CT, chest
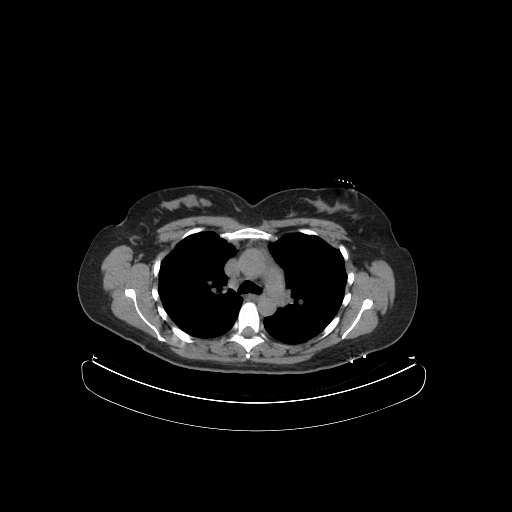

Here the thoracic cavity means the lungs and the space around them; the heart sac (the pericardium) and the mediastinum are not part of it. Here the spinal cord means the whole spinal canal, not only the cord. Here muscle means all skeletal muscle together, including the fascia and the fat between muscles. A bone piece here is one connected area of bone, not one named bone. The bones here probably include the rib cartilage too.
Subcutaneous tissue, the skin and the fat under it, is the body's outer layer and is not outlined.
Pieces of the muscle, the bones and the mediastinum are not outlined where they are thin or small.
{"spinal_cord":[[[246,327],[250,327],[253,330],[253,331],[254,332],[254,334],[252,336],[251,336],[250,337],[245,337],[243,335],[242,335],[242,332],[243,331],[243,330]]],"torso":[[[191,184],[226,188],[252,204],[296,187],[353,186],[368,196],[387,215],[397,241],[408,249],[414,262],[417,305],[406,331],[390,346],[342,365],[278,375],[222,373],[173,365],[93,322],[80,305],[76,283],[94,236],[104,226],[120,222],[145,194]]],"thoracic_cavity":[[[204,231],[213,231],[218,233],[221,238],[226,240],[235,249],[235,253],[225,261],[223,270],[227,276],[228,285],[239,294],[242,299],[236,319],[229,331],[214,337],[193,336],[177,326],[163,307],[158,291],[158,276],[162,260],[180,240],[192,234]],[[288,232],[319,236],[340,252],[346,272],[344,294],[336,314],[319,333],[298,343],[285,343],[272,337],[267,333],[262,321],[265,317],[274,314],[278,308],[283,305],[286,297],[287,289],[285,272],[271,254],[268,246],[270,242],[277,240],[279,236]]],"mediastinum":[[[243,239],[261,239],[273,241],[268,243],[267,248],[274,260],[284,272],[286,291],[283,303],[277,308],[274,313],[265,316],[262,320],[256,304],[253,301],[249,300],[243,302],[240,294],[229,285],[228,276],[224,270],[226,261],[237,251],[229,242]]],"bones":[{"outer":[[249,301],[250,302],[253,302],[255,304],[257,308],[258,314],[268,337],[263,342],[258,343],[250,350],[250,356],[247,359],[245,357],[246,351],[240,344],[235,341],[226,341],[225,339],[230,334],[230,330],[237,319],[238,313],[242,304]],"hole":[[246,327],[250,327],[253,330],[253,331],[254,332],[254,334],[252,336],[251,336],[250,337],[245,337],[243,335],[242,335],[242,332],[243,331],[243,330]]},[[244,227],[255,227],[258,229],[263,230],[268,233],[273,234],[277,236],[278,238],[275,240],[262,239],[261,238],[243,238],[242,239],[234,239],[233,240],[228,241],[226,239],[221,237],[219,235],[220,233],[226,232],[227,231],[231,232]],[[126,288],[133,288],[134,289],[135,295],[136,296],[136,302],[138,308],[144,317],[150,323],[156,327],[160,334],[166,339],[165,342],[159,341],[157,339],[155,332],[148,326],[139,316],[135,309],[133,300],[130,297],[126,296],[124,293],[124,290]],[[366,298],[369,298],[372,300],[373,302],[372,304],[372,306],[368,309],[365,309],[362,312],[358,321],[353,327],[353,328],[346,335],[344,339],[341,339],[341,335],[350,326],[350,325],[356,317],[362,305],[362,302],[363,300]],[[172,325],[175,325],[186,333],[191,335],[195,339],[195,340],[193,342],[191,342],[190,343],[189,343],[188,342],[183,342],[182,341],[181,341],[181,340],[177,337],[175,337],[174,338],[173,338],[173,333],[172,332],[172,330],[171,329],[171,326]],[[336,315],[338,315],[339,316],[339,321],[338,322],[338,323],[336,325],[336,326],[327,335],[326,335],[324,337],[323,337],[322,338],[318,338],[318,337],[320,335],[320,334],[321,333],[321,332],[323,330],[323,329],[333,319],[333,318]],[[198,226],[201,226],[202,227],[204,227],[204,230],[203,231],[200,231],[199,232],[196,232],[195,233],[192,233],[191,234],[186,236],[184,238],[183,238],[182,239],[180,239],[181,236],[185,232],[186,232],[191,228],[193,228],[194,227],[197,227]],[[157,257],[159,257],[161,258],[161,262],[160,263],[160,266],[159,267],[159,270],[158,271],[158,275],[157,277],[155,277],[152,271],[152,267]],[[340,243],[341,243],[342,244],[343,244],[343,245],[346,248],[346,249],[347,250],[347,253],[348,254],[348,258],[346,261],[345,261],[344,260],[344,258],[343,257],[343,256],[342,255],[342,254],[341,253],[341,252],[337,248],[337,246]],[[159,304],[160,304],[162,306],[162,307],[165,310],[165,311],[167,313],[167,314],[168,315],[168,320],[164,320],[161,317],[161,316],[159,314],[159,313],[158,312],[158,310],[157,309],[157,306]],[[299,228],[309,228],[310,229],[312,229],[313,230],[314,230],[316,232],[317,232],[317,233],[318,234],[318,235],[314,235],[313,234],[307,234],[306,233],[303,233],[302,232],[299,232],[298,231],[297,231],[297,230]],[[347,291],[350,292],[350,293],[351,294],[351,297],[350,298],[350,299],[349,300],[349,301],[348,302],[347,305],[344,307],[342,307],[341,306],[341,304],[342,303],[342,301],[343,300],[343,298],[344,297],[344,295],[345,294],[345,292],[346,292]],[[349,271],[352,271],[354,273],[354,278],[353,279],[353,281],[352,282],[352,283],[351,284],[351,285],[350,286],[349,286],[348,287],[346,287],[346,284],[347,283],[347,273]],[[153,287],[157,287],[157,291],[158,292],[158,295],[159,296],[159,299],[160,300],[159,301],[156,301],[153,298],[153,297],[152,296],[152,294],[151,293],[151,290],[152,289],[152,288]]],"muscle":[{"outer":[[199,215],[229,216],[250,226],[258,225],[264,220],[295,217],[333,221],[342,226],[347,236],[355,242],[349,247],[353,259],[358,265],[372,259],[383,259],[390,265],[395,279],[393,304],[371,332],[296,363],[276,364],[250,360],[239,363],[217,363],[190,360],[177,355],[157,343],[142,330],[113,314],[102,285],[101,264],[106,255],[119,245],[129,246],[140,260],[145,261],[159,247],[153,239],[156,229],[177,219]],"holes":[[[198,226],[204,227],[205,231],[219,234],[244,227],[255,227],[276,236],[296,232],[299,228],[309,228],[335,248],[340,243],[343,244],[348,254],[344,262],[345,271],[352,271],[354,278],[351,285],[344,290],[350,292],[351,297],[346,306],[339,307],[336,313],[339,321],[336,326],[322,338],[318,338],[318,333],[298,343],[285,343],[269,335],[250,350],[248,359],[240,344],[225,340],[230,334],[229,331],[214,337],[194,336],[195,340],[190,343],[177,337],[173,338],[171,326],[175,324],[169,317],[168,320],[161,317],[157,306],[162,303],[160,300],[156,301],[151,293],[152,288],[158,286],[158,278],[154,276],[152,267],[157,257],[162,260],[185,232]],[[126,288],[133,288],[134,289],[135,295],[136,296],[136,302],[138,308],[144,317],[150,323],[156,327],[160,334],[166,339],[165,342],[159,341],[157,339],[155,332],[148,326],[139,316],[135,309],[133,300],[130,297],[126,296],[124,293],[124,290]],[[366,298],[369,298],[372,300],[373,302],[372,304],[372,306],[368,309],[365,309],[362,312],[358,321],[353,327],[353,328],[346,335],[344,339],[341,339],[341,335],[350,326],[350,325],[356,317],[362,305],[362,302],[363,300]]]}]}